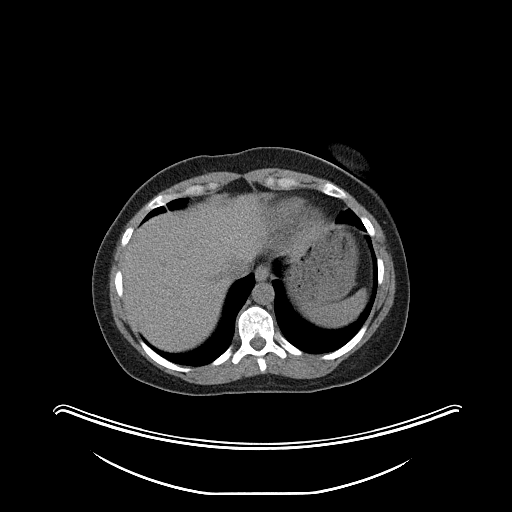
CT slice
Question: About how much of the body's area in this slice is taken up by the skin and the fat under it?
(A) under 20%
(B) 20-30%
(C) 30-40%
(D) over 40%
Answer: (B) 20-30%
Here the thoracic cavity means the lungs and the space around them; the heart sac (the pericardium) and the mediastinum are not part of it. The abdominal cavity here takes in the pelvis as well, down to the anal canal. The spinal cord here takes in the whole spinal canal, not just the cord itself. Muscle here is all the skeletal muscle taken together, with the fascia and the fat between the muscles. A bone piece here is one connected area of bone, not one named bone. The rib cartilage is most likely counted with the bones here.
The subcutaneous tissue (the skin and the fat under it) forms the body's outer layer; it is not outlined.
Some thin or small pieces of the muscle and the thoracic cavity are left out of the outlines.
The torso is outlined by 328 140; 351 145; 373 165; 373 185; 387 204; 404 247; 409 309; 401 340; 391 356; 357 381; 307 393; 195 396; 162 390; 126 373; 111 353; 95 315; 92 270; 106 231; 130 195; 164 167; 202 154; 279 146; 339 165; 323 146. The mediastinum appears in 2 outlined pieces: piece 1: 262 261; 266 261; 268 263; 272 263; 273 264; 273 272; 275 274; 275 278; 272 280; 271 284; 274 291; 274 298; 273 299; 274 318; 265 308; 256 304; 250 305; 240 311; 255 284; 255 275; 254 273; 252 272; 254 271; 255 268; piece 2: 253 182; 259 183; 271 189; 278 190; 291 190; 296 188; 314 189; 328 196; 342 200; 347 206; 347 208; 341 210; 335 219; 333 219; 328 212; 328 207; 326 205; 326 202; 316 195; 301 191; 277 192; 263 191; 255 188; 252 184. The thoracic cavity appears in 3 outlined pieces: piece 1: 348 208; 364 226; 376 256; 377 287; 373 304; 364 323; 343 345; 326 353; 305 352; 276 327; 273 263; 279 261; 279 279; 285 297; 302 319; 324 330; 338 330; 353 323; 370 299; 373 262; 366 232; 336 221; 339 213; piece 2: 250 273; 253 273; 254 275; 254 284; 237 315; 233 340; 226 349; 211 362; 202 365; 180 365; 160 355; 142 339; 144 338; 159 350; 171 354; 185 353; 198 348; 210 338; 218 327; 222 317; 226 297; 231 286; 238 279; piece 3: 182 197; 187 197; 187 202; 185 205; 182 207; 179 207; 175 209; 169 209; 166 207; 165 208; 165 211; 160 213; 157 213; 145 221; 142 221; 143 218; 153 209; 155 209; 161 206; 165 206; 167 203; 170 201; 178 198; 181 198. The muscle appears in 2 outlined pieces: piece 1: 344 190; 354 197; 380 225; 388 243; 394 265; 395 292; 393 303; 388 313; 373 334; 331 372; 320 377; 308 379; 262 373; 225 383; 196 384; 166 373; 152 364; 117 328; 109 298; 109 273; 113 254; 116 243; 126 223; 147 202; 144 206; 147 213; 135 229; 132 226; 128 226; 121 236; 120 245; 125 247; 125 249; 121 262; 121 270; 118 269; 115 272; 113 281; 116 293; 120 298; 123 296; 127 313; 141 338; 138 340; 140 346; 156 363; 170 370; 188 373; 192 369; 189 366; 183 366; 202 366; 210 363; 212 366; 218 366; 229 359; 235 365; 244 356; 252 355; 255 357; 259 370; 263 373; 267 368; 265 355; 270 352; 281 359; 284 359; 287 353; 295 356; 301 356; 303 352; 323 354; 320 358; 325 361; 334 360; 345 354; 361 340; 367 330; 368 323; 365 322; 373 307; 377 288; 384 279; 384 261; 380 256; 376 255; 374 250; 371 237; 376 234; 376 231; 372 222; 365 215; 359 216; 348 207; 343 200; 348 197; piece 2: 269 167; 289 169; 326 179; 330 181; 319 182; 314 186; 314 188; 300 187; 302 186; 301 182; 292 176; 275 177; 272 175; 268 175; 263 180; 263 185; 255 181; 249 182; 241 177; 234 179; 218 188; 217 188; 219 184; 216 181; 210 181; 205 184; 200 183; 192 184; 185 187; 180 191; 172 191; 157 194; 160 191; 180 181; 208 172; 229 171; 236 173; 245 173; 251 170. The bones appear in 10 outlined pieces: piece 1: 253 305; 265 309; 274 319; 275 327; 292 345; 301 350; 302 354; 287 352; 286 356; 281 358; 274 352; 267 352; 264 355; 266 368; 263 372; 252 354; 244 355; 235 364; 229 358; 218 365; 212 365; 211 363; 233 342; 239 313; inner edge: 256 336; 258 336; 259 337; 260 337; 261 338; 262 338; 263 339; 264 339; 264 341; 265 342; 264 343; 264 345; 260 349; 255 349; 251 345; 251 344; 250 343; 250 342; 251 341; 251 340; 253 338; 254 338; piece 2: 210 182; 216 182; 218 184; 218 186; 213 190; 207 190; 205 193; 200 195; 188 195; 172 199; 167 202; 165 205; 161 205; 153 208; 148 212; 145 209; 145 206; 148 202; 157 195; 172 192; 180 192; 189 186; 196 184; 205 185; piece 3: 365 323; 367 323; 367 327; 364 334; 362 336; 360 340; 352 348; 351 348; 345 353; 342 354; 340 356; 334 359; 328 359; 327 360; 325 360; 321 358; 321 356; 322 355; 326 354; 327 353; 330 353; 343 346; 357 333; 357 332; piece 4: 140 339; 143 340; 143 341; 148 346; 149 346; 156 353; 157 353; 163 358; 174 364; 176 364; 183 367; 189 367; 191 370; 188 372; 182 372; 181 371; 170 369; 156 362; 152 358; 151 358; 143 349; 139 342; 139 340; piece 5: 268 176; 272 176; 275 178; 280 178; 281 177; 292 177; 298 180; 300 182; 301 184; 301 186; 299 187; 296 187; 295 188; 292 188; 291 189; 278 189; 277 188; 271 188; 270 187; 268 187; 264 185; 264 180; piece 6: 325 182; 331 182; 335 185; 336 185; 340 188; 341 188; 346 193; 346 194; 347 195; 347 197; 344 199; 340 199; 337 197; 334 197; 333 196; 328 195; 317 189; 315 189; 315 186; 317 184; 318 184; 319 183; 324 183; piece 7: 118 270; 120 270; 121 271; 121 274; 122 275; 122 286; 123 287; 123 295; 121 297; 120 297; 118 295; 118 294; 117 293; 117 291; 116 290; 116 288; 115 287; 115 282; 114 281; 114 278; 115 277; 115 274; 116 273; 116 272; piece 8: 377 257; 380 257; 382 259; 382 260; 383 261; 383 279; 382 280; 382 282; 379 285; 378 285; 378 283; 377 282; piece 9: 360 216; 365 216; 371 222; 371 223; 372 224; 372 225; 374 228; 374 230; 375 231; 375 234; 373 236; 370 236; 368 234; 368 233; 366 230; 366 228; 365 227; 365 226; 363 224; 362 221; 360 219; 360 218; 359 217; piece 10: 128 227; 132 227; 133 228; 133 231; 132 232; 132 233; 131 234; 131 236; 130 237; 130 238; 129 239; 128 242; 126 244; 126 245; 125 246; 122 246; 121 245; 121 239; 122 238; 122 236; 123 235; 123 234; 124 233; 125 230. The pericardium is outlined by 260 191; 270 193; 301 192; 316 196; 325 202; 325 205; 327 207; 327 212; 332 219; 330 221; 324 222; 320 226; 316 227; 314 229; 310 229; 304 232; 293 239; 282 237; 274 230; 271 222; 266 215; 264 206; 265 203; 259 193. The abdominal cavity is outlined by 241 178; 259 191; 265 215; 282 238; 293 240; 332 220; 365 232; 372 262; 369 299; 348 325; 318 327; 288 301; 280 261; 262 260; 230 286; 217 327; 201 345; 180 353; 159 349; 138 333; 126 307; 126 246; 141 221. The spinal cord is outlined by 256 336; 258 336; 259 337; 260 337; 261 338; 262 338; 263 339; 264 339; 264 341; 265 342; 264 343; 264 345; 260 349; 255 349; 251 345; 251 344; 250 343; 250 342; 251 341; 251 340; 253 338; 254 338.